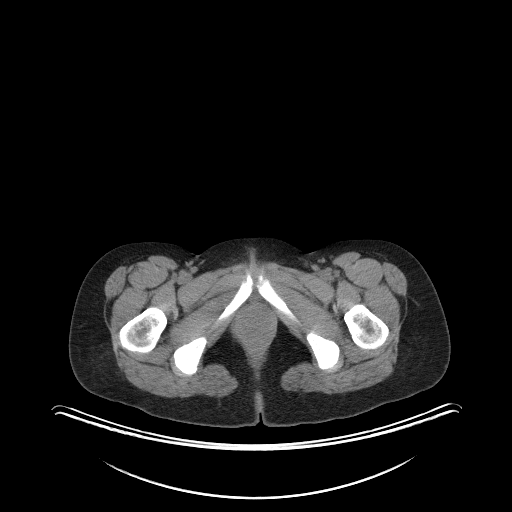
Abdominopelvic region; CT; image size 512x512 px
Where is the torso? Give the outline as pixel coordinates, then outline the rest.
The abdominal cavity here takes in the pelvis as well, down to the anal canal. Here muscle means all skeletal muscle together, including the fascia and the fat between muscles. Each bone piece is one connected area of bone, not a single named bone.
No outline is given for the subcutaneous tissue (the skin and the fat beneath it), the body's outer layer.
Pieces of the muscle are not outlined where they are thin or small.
The torso is outlined by 245,236 278,238 307,252 359,238 387,240 408,250 432,280 446,317 451,352 442,378 408,398 352,417 273,427 261,421 235,428 182,423 87,391 71,369 68,334 81,282 99,257 142,241 173,243 200,253. The muscle is outlined by 347,251 378,253 396,265 407,280 406,315 400,329 394,370 374,385 334,394 283,389 281,375 289,367 305,360 309,352 279,320 257,376 229,328 207,349 205,361 223,365 238,381 231,393 220,398 204,395 170,398 152,394 131,384 116,364 111,336 104,321 103,289 109,275 128,260 164,255 193,276 242,262 276,262 309,272 319,270, around holes outlined by 247,270 254,284 244,304 254,300 266,301 256,287 257,277 262,274 269,280 299,321 299,323 293,322 270,304 269,307 275,316 275,327 263,356 258,360 251,357 238,333 237,309 213,327 216,319 245,278 and by 149,306 155,306 156,307 158,307 164,312 167,318 167,324 164,330 160,335 160,337 158,339 154,348 147,353 134,352 123,348 120,345 119,338 118,337 118,333 120,328 127,321 140,313 144,309 and by 357,303 361,303 365,305 373,313 378,316 387,325 389,329 389,334 386,339 385,343 383,345 375,349 363,349 355,344 355,343 353,341 351,337 351,335 344,322 344,320 343,319 343,315 344,313 351,306 and by 199,336 205,336 207,339 207,342 205,345 205,348 203,351 200,361 198,364 197,370 195,373 191,375 186,375 176,368 174,364 174,360 173,359 173,352 175,349 179,346 185,343 187,343 192,339 and by 310,330 313,330 316,333 319,334 321,336 325,338 333,340 339,346 340,352 339,353 339,357 338,358 338,361 332,369 330,370 327,370 326,369 321,369 317,365 317,362 313,355 312,350 306,339 306,333. The abdominal cavity is outlined by 254,300 265,302 269,305 273,315 275,316 275,327 273,329 273,331 269,338 269,341 267,342 267,346 265,348 263,356 258,360 251,357 244,342 242,341 236,327 236,317 238,314 238,309 243,304 252,302. The bones appear in 6 outlined pieces: piece 1: 149,306 155,306 156,307 158,307 164,312 167,318 167,324 164,330 160,335 160,337 158,339 154,348 147,353 134,352 123,348 120,345 119,338 118,337 118,333 120,328 127,321 140,313 144,309; piece 2: 357,303 361,303 365,305 373,313 378,316 387,325 389,329 389,334 386,339 385,343 383,345 375,349 363,349 355,344 355,343 353,341 351,337 351,335 344,322 344,320 343,319 343,315 344,313 351,306; piece 3: 199,336 205,336 207,339 207,342 205,345 205,348 203,351 200,361 198,364 197,370 195,373 191,375 186,375 176,368 174,364 174,360 173,359 173,352 175,349 179,346 185,343 187,343 192,339; piece 4: 310,330 313,330 316,333 319,334 321,336 325,338 333,340 339,346 340,352 339,353 339,357 338,358 338,361 332,369 330,370 327,370 326,369 321,369 317,365 317,362 313,355 312,350 306,339 306,333; piece 5: 259,274 262,274 265,278 267,278 269,280 271,285 273,287 275,291 284,300 287,306 299,321 299,323 295,323 291,320 290,320 284,314 283,314 273,306 272,306 260,295 256,287 256,283 257,282 257,277; piece 6: 247,270 250,273 252,277 252,279 254,282 254,284 252,287 252,291 250,295 231,315 222,321 217,326 213,327 213,325 216,319 222,312 226,305 231,300 234,294 238,289 241,282 245,278 245,275.